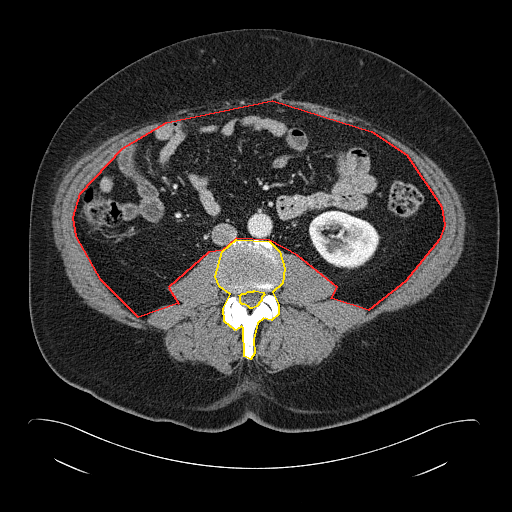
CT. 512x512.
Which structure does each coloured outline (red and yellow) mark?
red: abdominal cavity; yellow: bones.
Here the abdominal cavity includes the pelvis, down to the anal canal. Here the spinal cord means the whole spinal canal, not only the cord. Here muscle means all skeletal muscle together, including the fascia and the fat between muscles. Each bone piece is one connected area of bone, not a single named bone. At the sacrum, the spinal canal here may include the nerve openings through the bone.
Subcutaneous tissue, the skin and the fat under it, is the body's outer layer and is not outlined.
The abdominal cavity is outlined by 272 100; 371 131; 406 154; 441 206; 444 225; 439 239; 405 281; 368 310; 331 298; 337 287; 297 255; 269 240; 236 238; 222 250; 208 252; 168 287; 178 303; 138 317; 101 280; 76 236; 73 217; 80 193; 122 148; 166 122. The bones are outlined by 236 239; 269 241; 279 251; 284 268; 282 283; 272 292; 278 304; 278 314; 271 320; 263 318; 257 323; 253 339; 254 353; 250 359; 244 356; 243 328; 241 326; 235 330; 224 321; 223 308; 230 294; 219 286; 215 276; 222 251; inner edge: 254 290; 263 292; 264 294; 261 297; 261 300; 258 303; 258 304; 256 306; 252 308; 250 308; 248 306; 244 304; 242 304; 240 302; 240 297; 239 295; 240 295; 242 293; 245 293; 248 291; 253 291. The muscle is outlined by 274 93; 343 110; 393 131; 421 149; 460 195; 466 222; 463 250; 452 270; 424 299; 347 333; 337 350; 306 380; 273 382; 250 360; 255 353; 258 323; 271 321; 280 311; 273 292; 283 283; 280 251; 325 274; 336 287; 331 299; 356 303; 370 311; 406 281; 440 239; 445 225; 440 201; 411 158; 383 136; 276 99; 166 121; 122 147; 83 187; 75 202; 72 224; 100 280; 124 308; 144 320; 160 306; 178 304; 169 287; 208 253; 221 251; 214 276; 229 294; 222 317; 235 331; 242 328; 246 359; 221 379; 200 378; 171 361; 159 333; 120 323; 82 301; 54 242; 53 195; 65 169; 76 158; 124 129; 209 102. The spinal cord is outlined by 254 290; 263 292; 264 294; 261 297; 261 300; 258 303; 258 304; 256 306; 252 308; 250 308; 248 306; 244 304; 242 304; 240 302; 240 297; 239 295; 240 295; 242 293; 245 293; 248 291; 253 291. The torso is outlined by 242 28; 283 29; 349 43; 403 66; 459 112; 494 174; 498 268; 475 336; 425 388; 351 423; 283 432; 247 419; 227 430; 205 432; 151 421; 62 380; 33 334; 28 305; 31 196; 39 164; 61 121; 89 91; 140 57; 197 35.